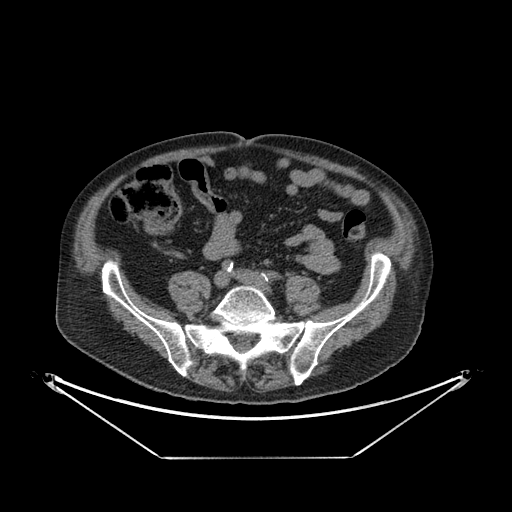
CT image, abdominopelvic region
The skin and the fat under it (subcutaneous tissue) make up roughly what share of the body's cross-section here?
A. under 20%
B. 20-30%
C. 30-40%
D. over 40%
Answer: B. 20-30%
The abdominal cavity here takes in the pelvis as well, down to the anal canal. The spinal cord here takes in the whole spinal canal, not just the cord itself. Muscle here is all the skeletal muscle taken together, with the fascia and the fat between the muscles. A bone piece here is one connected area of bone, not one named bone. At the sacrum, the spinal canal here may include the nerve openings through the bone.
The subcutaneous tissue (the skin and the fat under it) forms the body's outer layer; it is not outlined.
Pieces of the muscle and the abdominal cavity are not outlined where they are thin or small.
The abdominal cavity is outlined by 248,147 363,182 391,233 365,245 348,301 320,308 315,280 290,276 296,321 278,320 251,284 228,289 203,321 195,314 210,280 175,272 167,290 184,323 142,297 120,252 96,242 98,210 142,166. The muscle appears in 4 outlined pieces: piece 1: 234,143 264,144 286,148 355,167 359,173 390,189 405,204 415,220 418,236 417,249 408,269 397,270 396,291 392,309 387,318 379,327 360,340 336,351 330,362 331,367 322,374 310,376 318,364 318,357 323,346 335,332 377,297 390,274 392,261 385,253 379,250 373,251 370,255 368,283 361,299 348,312 331,320 315,321 310,318 305,320 303,316 300,316 294,309 294,303 289,302 286,297 286,282 296,275 314,280 320,289 317,300 320,309 348,302 353,297 366,264 366,245 373,238 389,236 393,230 393,220 383,200 371,186 361,180 283,153 254,146 185,155 173,160 138,167 118,183 102,201 95,217 95,242 104,249 116,249 133,289 148,302 175,314 174,317 177,320 158,318 138,307 125,289 116,260 108,258 102,263 101,290 96,273 82,274 75,266 72,257 75,225 83,207 96,191 150,157 182,148; piece 2: 187,340 207,355 222,355 237,362 239,369 244,374 249,361 270,352 284,354 292,348 289,356 288,370 294,385 258,392 248,387 245,381 237,389 232,391 222,391 195,383 186,378 188,376 188,369 193,364; piece 3: 188,270 202,274 207,277 209,280 210,284 209,292 201,299 203,303 203,307 201,310 196,312 194,316 197,319 202,320 203,322 212,322 211,323 192,322 186,314 177,307 169,293 168,281 171,276 175,273; piece 4: 102,292 119,303 156,335 166,352 166,359 172,366 173,369 171,369 168,366 165,360 155,350 145,344 138,337 131,335 127,331 123,329 122,323 121,322 117,322 112,317 109,312 107,303 102,298. The spinal cord is outlined by 249,333 250,334 253,334 256,336 256,340 255,341 255,342 254,342 253,343 252,346 249,349 248,349 243,352 238,351 235,348 235,344 232,340 233,339 234,336 235,336 236,335 240,335 241,334 248,334. The bones are outlined by 376,251 391,261 383,287 326,340 299,385 289,370 292,347 249,360 244,373 188,339 192,364 183,377 157,335 102,291 101,268 112,259 133,303 158,319 211,324 228,290 251,285 278,321 325,322 360,302, around a hole outlined by 249,333 250,334 253,334 256,336 256,340 255,341 255,342 254,342 253,343 252,346 249,349 248,349 243,352 238,351 235,348 235,344 232,340 233,339 234,336 235,336 236,335 240,335 241,334 248,334. The torso is outlined by 206,131 232,131 246,138 284,133 327,141 366,158 409,192 430,232 434,269 422,329 405,358 371,380 342,392 297,403 228,404 188,400 144,387 65,340 55,323 58,249 62,223 76,195 96,174 140,147.